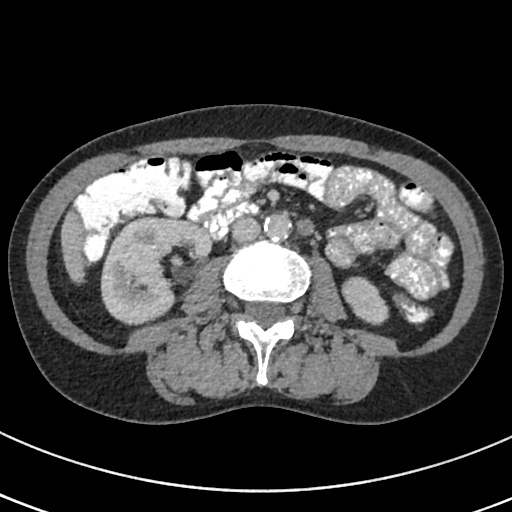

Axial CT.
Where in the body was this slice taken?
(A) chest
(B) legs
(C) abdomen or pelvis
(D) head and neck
Answer: (C) abdomen or pelvis
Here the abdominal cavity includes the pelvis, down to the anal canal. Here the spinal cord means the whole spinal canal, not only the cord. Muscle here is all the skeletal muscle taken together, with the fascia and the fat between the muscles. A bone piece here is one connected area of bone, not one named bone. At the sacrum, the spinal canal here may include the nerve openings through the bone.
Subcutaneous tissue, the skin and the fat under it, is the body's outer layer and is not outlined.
The spinal cord is outlined by 253 301; 258 301; 259 302; 267 301; 268 302; 276 302; 277 303; 285 304; 287 308; 287 315; 283 320; 277 321; 273 323; 267 328; 263 328; 254 320; 249 320; 247 319; 247 316; 244 310; 245 304; 246 302; 252 302. The abdominal cavity is outlined by 252 143; 367 159; 429 191; 451 221; 462 259; 459 295; 441 330; 400 350; 393 337; 341 325; 346 312; 328 262; 265 238; 202 264; 183 293; 184 314; 133 329; 123 347; 76 325; 48 274; 50 241; 69 202; 96 176; 142 156. The torso is outlined by 238 103; 314 107; 399 130; 441 153; 475 188; 499 235; 503 289; 479 361; 447 398; 409 417; 373 425; 267 406; 181 423; 142 424; 86 409; 61 395; 41 374; 18 327; 7 276; 11 228; 31 190; 64 156; 104 133; 185 110. The muscle is outlined by 302 134; 320 134; 321 135; 345 137; 365 142; 369 145; 375 146; 377 148; 382 148; 385 150; 411 155; 427 162; 441 171; 461 191; 469 203; 476 219; 476 223; 478 226; 479 233; 482 240; 483 254; 485 258; 485 262; 483 265; 483 278; 477 303; 467 322; 461 328; 459 333; 449 343; 436 351; 430 352; 421 356; 401 357; 397 359; 393 357; 384 357; 380 365; 377 381; 373 388; 364 398; 351 404; 345 405; 320 404; 308 400; 298 400; 290 398; 284 396; 270 388; 255 387; 244 393; 241 393; 230 398; 214 399; 200 404; 185 405; 184 406; 170 403; 164 400; 157 394; 146 375; 144 360; 141 357; 137 356; 132 356; 126 358; 122 358; 119 356; 109 357; 84 350; 62 336; 46 320; 37 304; 28 279; 25 261; 27 238; 34 214; 43 198; 54 184; 76 165; 86 159; 99 154; 122 151; 138 145; 169 139; 185 138; 186 137; 208 137; 209 136; 247 139; 248 138; 271 138; 283 135; 301 135 with a hole at 252 143; 367 159; 429 191; 462 259; 441 330; 400 350; 393 337; 341 325; 318 253; 305 257; 310 283; 263 386; 234 327; 242 303; 224 288; 225 254; 195 272; 183 315; 133 329; 123 347; 76 325; 48 274; 69 202; 142 156. The bones are outlined by 264 239; 275 240; 303 256; 311 276; 307 290; 295 301; 298 311; 292 336; 288 340; 280 339; 271 350; 267 383; 263 386; 256 382; 258 365; 254 347; 240 337; 234 327; 233 319; 242 303; 224 288; 222 274; 229 256; 236 249 with a hole at 253 301; 258 301; 259 302; 267 301; 268 302; 276 302; 277 303; 285 304; 287 308; 287 315; 283 320; 277 321; 273 323; 267 328; 263 328; 254 320; 249 320; 247 319; 247 316; 244 310; 245 304; 246 302; 252 302.